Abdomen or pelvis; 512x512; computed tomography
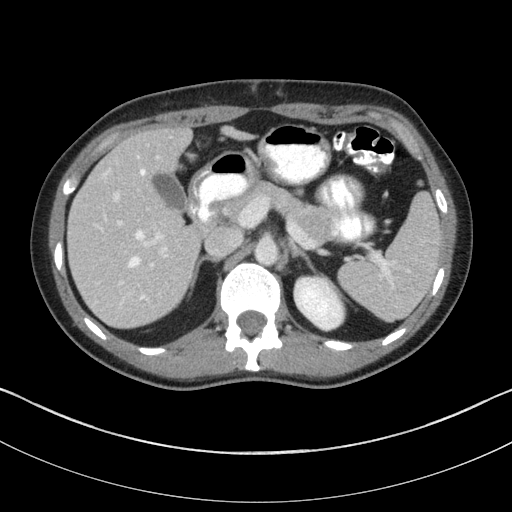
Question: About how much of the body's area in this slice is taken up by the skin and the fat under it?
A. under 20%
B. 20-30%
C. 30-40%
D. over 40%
Answer: A. under 20%
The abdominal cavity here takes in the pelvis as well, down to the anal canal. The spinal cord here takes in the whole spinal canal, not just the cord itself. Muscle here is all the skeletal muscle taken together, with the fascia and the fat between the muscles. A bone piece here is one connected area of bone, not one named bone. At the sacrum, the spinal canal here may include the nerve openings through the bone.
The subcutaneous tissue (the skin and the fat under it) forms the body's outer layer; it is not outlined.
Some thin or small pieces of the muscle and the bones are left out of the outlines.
{"torso":[[[180,391],[246,381],[314,389],[339,387],[400,362],[440,328],[469,272],[472,212],[458,170],[407,101],[379,86],[338,80],[236,78],[184,85],[137,96],[113,107],[54,162],[35,202],[29,238],[32,271],[49,312],[64,333],[99,363],[137,381]]],"bones":[{"outer":[[250,371],[260,369],[256,361],[260,350],[279,348],[282,345],[275,322],[275,313],[280,304],[280,287],[275,276],[267,269],[253,262],[242,262],[225,276],[220,291],[220,306],[228,317],[224,332],[225,349],[232,351],[241,347],[247,354],[244,367]],"hole":[[249,336],[252,336],[259,333],[261,331],[262,327],[266,322],[266,319],[265,317],[261,313],[257,312],[256,311],[253,311],[252,310],[249,310],[242,313],[240,315],[239,315],[237,319],[237,323],[242,329],[242,333]]},[[418,160],[420,160],[422,158],[422,156],[420,154],[420,149],[416,140],[413,137],[411,133],[400,122],[399,122],[397,120],[391,119],[390,120],[391,121],[391,125],[397,131],[398,134],[400,136],[400,138],[402,140],[408,150],[412,154],[412,155]],[[335,350],[345,350],[346,349],[349,349],[353,347],[354,345],[354,343],[352,342],[346,342],[345,341],[341,341],[340,340],[334,340],[333,339],[328,339],[324,341],[323,342],[323,344],[325,346],[329,348],[334,349]],[[66,196],[69,195],[75,189],[75,188],[76,187],[76,185],[77,184],[77,180],[78,179],[77,178],[77,176],[75,173],[73,173],[70,177],[69,177],[67,179],[66,179],[66,180],[63,184],[63,187],[62,188],[62,192],[63,193],[63,194]],[[60,271],[62,268],[62,258],[63,257],[63,251],[62,250],[62,243],[60,241],[58,241],[56,243],[56,244],[55,245],[55,248],[54,249],[54,252],[53,253],[53,257],[54,258],[54,261],[55,262],[56,267],[57,268],[57,269]],[[382,345],[386,345],[387,344],[390,343],[392,341],[393,341],[394,340],[397,339],[399,337],[400,337],[406,331],[406,328],[405,327],[400,327],[399,328],[394,330],[389,334],[388,334],[385,337],[384,337],[382,339],[382,340],[381,341],[381,344]],[[104,340],[105,340],[107,338],[107,337],[106,336],[106,335],[100,329],[100,328],[95,323],[94,323],[88,317],[84,317],[83,318],[83,320],[84,321],[84,322],[86,324],[86,325],[96,335],[97,335],[99,337],[100,337],[102,339],[103,339]],[[431,295],[434,295],[436,293],[436,292],[438,290],[442,282],[442,280],[443,279],[443,275],[444,274],[444,269],[443,267],[439,267],[438,268],[438,270],[437,271],[436,276],[434,279],[434,281],[432,285],[432,289],[431,290]],[[148,355],[156,355],[157,354],[159,354],[162,352],[164,352],[166,350],[165,349],[165,348],[164,348],[163,347],[161,347],[160,346],[159,347],[144,347],[143,346],[138,346],[137,347],[137,349],[140,352],[141,352],[144,354],[147,354]],[[95,150],[99,150],[100,149],[103,148],[106,145],[107,145],[109,143],[110,143],[112,141],[113,138],[117,134],[116,133],[114,133],[113,134],[112,134],[111,135],[108,136],[103,140],[102,140],[100,142],[100,143],[96,147]]],"spinal_cord":[[[249,336],[252,336],[259,333],[261,331],[262,327],[266,322],[266,319],[265,317],[261,313],[257,312],[256,311],[253,311],[252,310],[249,310],[242,313],[240,315],[239,315],[237,319],[237,323],[242,329],[242,333]]],"abdominal_cavity":[[[144,346],[161,346],[206,325],[217,311],[224,276],[242,261],[276,276],[294,325],[346,341],[385,336],[415,311],[439,266],[441,218],[423,168],[399,138],[373,123],[325,125],[269,111],[120,140],[90,166],[68,200],[64,261],[74,294],[101,329]]],"muscle":[{"outer":[[179,380],[249,371],[243,367],[246,354],[241,348],[232,352],[224,349],[226,314],[219,304],[206,326],[162,346],[167,350],[156,356],[144,355],[136,345],[103,330],[108,337],[105,341],[96,336],[82,320],[84,316],[93,320],[73,294],[63,258],[60,272],[52,257],[55,243],[63,238],[69,197],[61,192],[65,179],[75,172],[78,183],[89,166],[120,139],[150,129],[230,120],[251,110],[269,110],[325,124],[370,121],[398,137],[389,120],[400,121],[420,146],[423,158],[418,161],[432,191],[439,187],[448,203],[448,212],[441,213],[440,266],[445,269],[444,279],[437,293],[431,296],[430,291],[401,326],[407,331],[386,346],[380,344],[380,338],[353,342],[354,347],[345,351],[329,349],[322,344],[326,338],[291,323],[281,299],[276,322],[283,345],[260,351],[260,370],[334,377],[369,364],[403,344],[435,311],[449,281],[457,229],[455,206],[430,148],[405,116],[369,103],[204,105],[120,122],[95,136],[80,151],[58,184],[49,219],[51,268],[61,301],[74,324],[103,348],[144,371]],"holes":[[[95,150],[99,150],[100,149],[103,148],[106,145],[107,145],[109,143],[110,143],[112,141],[113,138],[117,134],[116,133],[114,133],[113,134],[112,134],[111,135],[108,136],[103,140],[102,140],[100,142],[100,143],[96,147]],[[377,117],[380,117],[381,116],[381,115],[379,113],[377,113],[376,112],[370,112],[370,114],[371,115],[373,115],[374,116],[376,116]]]}]}